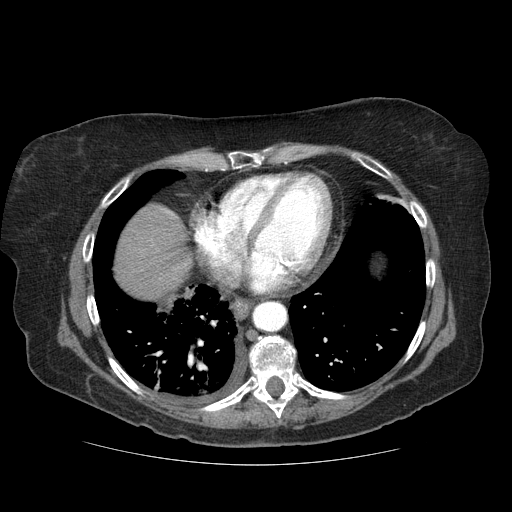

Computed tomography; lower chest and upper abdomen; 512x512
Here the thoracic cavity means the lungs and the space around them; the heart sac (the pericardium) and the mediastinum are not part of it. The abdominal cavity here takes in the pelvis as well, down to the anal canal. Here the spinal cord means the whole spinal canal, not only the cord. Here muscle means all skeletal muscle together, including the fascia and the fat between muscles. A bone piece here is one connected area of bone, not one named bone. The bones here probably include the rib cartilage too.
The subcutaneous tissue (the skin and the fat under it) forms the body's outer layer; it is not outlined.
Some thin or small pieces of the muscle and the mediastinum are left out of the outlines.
torso: 367,96 405,98 432,108 471,136 486,156 490,181 483,216 491,284 482,317 482,365 469,384 363,435 304,446 225,448 135,427 47,387 32,374 12,309 16,267 0,251 8,190 28,142 110,114 264,114
muscle 1: 390,170 423,204 432,220 444,283 451,289 456,335 415,380 397,385 355,412 301,429 220,429 191,424 127,396 58,344 61,293 68,291 69,259 99,202 98,208 104,212 96,232 85,235 81,248 82,261 91,262 92,268 93,292 86,295 85,306 92,325 100,326 113,354 106,355 107,363 129,389 143,397 147,391 170,404 201,406 201,412 219,411 250,394 278,419 301,391 320,399 348,398 344,392 375,382 415,353 426,330 427,322 421,319 426,292 436,280 436,263 432,257 426,258 421,233 428,225 426,213 423,207 418,201 413,198 407,201 396,192 388,182 393,178
muscle 2: 203,146 213,146 220,149 231,150 227,151 220,151 219,150 213,150 212,151 211,150 199,150 198,151 194,151 192,150 191,151 175,154 167,157 163,160 163,162 167,166 179,167 180,168 191,168 191,169 182,169 181,168 174,168 173,167 151,169 144,172 131,183 132,179 135,175 135,171 131,170 133,168 146,162 167,155 176,153 180,153 181,152 189,149 198,148
muscle 3: 279,141 294,141 295,142 312,143 313,144 337,144 354,149 350,150 347,153 350,159 349,159 347,157 343,157 339,155 324,154 326,152 326,148 322,145 310,144 309,143 308,143 307,143 297,143 286,145 273,145 272,144 269,145
pericardium: 269,164 311,165 333,175 341,186 345,198 345,225 331,261 310,285 285,295 242,296 231,289 219,287 200,272 194,254 194,247 184,229 184,214 194,196 213,180 222,178 236,170 244,169 247,166 266,166
abdominal cavity 1: 158,192 163,192 169,196 183,216 183,229 189,240 187,242 189,248 187,255 191,262 191,275 187,283 178,285 173,290 173,297 159,307 153,302 140,301 125,293 118,286 112,274 114,252 120,233 128,220
abdominal cavity 2: 376,249 380,249 382,250 382,251 387,257 388,263 389,264 389,267 387,271 387,275 383,279 381,280 376,280 375,279 373,279 370,276 370,275 368,273 368,271 366,269 366,260 368,256 370,255 371,252
mediastinum 1: 188,242 193,247 199,272 219,288 231,290 242,297 285,296 299,292 290,298 287,311 293,343 279,334 266,334 258,335 248,347 244,343 240,329 236,326 228,302 220,298 218,291 205,283 188,283 192,275
mediastinum 2: 321,155 339,156 347,158 357,163 387,181 396,193 395,195 391,195 381,191 376,195 371,195 369,193 366,196 364,203 358,205 355,209 351,222 337,250 346,225 346,198 342,186 333,174 315,165 289,163
mediastinum 3: 178,169 182,170 194,169 204,172 213,171 224,172 229,170 235,170 222,177 213,179 200,189 197,194 193,196 182,215 174,200 169,195 163,193 164,192 163,191 159,192 162,188 185,177 184,173
spinal cord: 274,376 279,378 281,380 281,381 283,384 283,386 284,387 284,388 283,389 283,391 279,395 278,395 277,396 273,396 272,395 271,395 266,389 266,385 267,384 267,382 270,379 270,378 271,377 273,377
bones 1: 266,335 279,335 293,344 296,349 295,370 304,379 318,388 343,393 348,397 320,398 301,390 287,402 280,418 264,402 250,393 239,402 219,410 199,410 200,407 231,394 246,381 252,374 249,348 258,336; inner edge: 274,376 279,378 281,380 281,381 283,384 283,386 284,387 284,388 283,389 283,391 279,395 278,395 277,396 273,396 272,395 271,395 266,389 266,385 267,384 267,382 270,379 270,378 271,377 273,377
bones 2: 297,144 322,146 325,148 325,152 320,155 306,157 288,163 264,163 262,165 247,165 239,169 204,171 191,167 167,165 164,162 165,159 172,156 192,151 227,152 232,150 243,150 255,152 272,145 286,146
bones 3: 352,150 357,150 364,154 367,154 372,158 375,159 388,170 389,170 389,171 392,175 392,178 389,181 388,180 386,180 379,175 371,171 369,169 360,165 357,162 352,160 350,158 349,156 349,154 348,153
bones 4: 131,171 134,171 134,175 131,179 130,184 105,209 103,209 102,208 99,208 99,205 100,204 100,202 103,198 103,197 106,194 106,193 120,179 120,178 121,178 123,176 126,175 129,172 130,172
bones 5: 107,355 110,355 112,356 118,362 118,363 127,373 127,374 141,388 142,388 146,392 146,393 143,396 142,395 140,395 136,393 130,388 129,388 116,375 116,374 112,370 110,365 108,363 108,361 106,357
bones 6: 421,320 425,320 426,322 425,324 425,330 424,331 423,336 417,348 415,350 414,353 407,361 407,362 406,362 404,364 399,365 398,364 398,362 399,360 404,355 404,354 406,352 416,332 416,330
bones 7: 413,199 417,202 418,202 420,204 420,205 422,207 425,213 425,215 427,219 427,225 426,227 421,230 416,220 414,218 411,212 409,210 409,207 408,206 408,203 407,202
bones 8: 90,231 93,231 95,233 95,237 94,238 94,242 93,243 93,249 92,250 92,255 91,256 91,260 90,262 87,262 86,263 83,261 83,257 82,256 82,248 83,247 83,242 84,241 84,239 86,235
bones 9: 89,293 93,293 94,299 95,300 95,303 96,304 96,307 97,308 97,312 98,313 99,319 100,320 99,325 97,325 96,326 93,325 90,319 90,317 89,316 89,314 87,310 87,307 86,306 86,297
bones 10: 427,258 432,258 433,259 433,260 434,261 434,262 435,263 435,280 434,281 434,284 433,285 433,286 431,288 430,288 429,289 427,289 427,288 426,287 426,267 425,266 425,264 426,263 426,259
thoracic cavity 1: 381,192 391,196 397,194 404,199 420,230 425,257 426,288 420,320 403,355 378,379 343,392 324,389 304,378 296,370 297,349 294,345 288,311 291,298 310,286 331,263 358,206 365,203 369,194 376,196, around a hole outlined by 376,249 380,249 382,250 382,251 387,257 388,263 389,264 389,267 387,271 387,275 383,279 381,280 376,280 375,279 373,279 370,276 370,275 368,273 368,271 366,269 366,260 368,256 370,255 371,252
thoracic cavity 2: 166,168 184,177 162,187 127,220 115,244 111,274 125,294 158,308 174,297 178,286 189,283 214,288 227,302 248,348 251,374 231,393 204,405 170,403 141,387 114,357 94,295 91,261 105,210 144,173